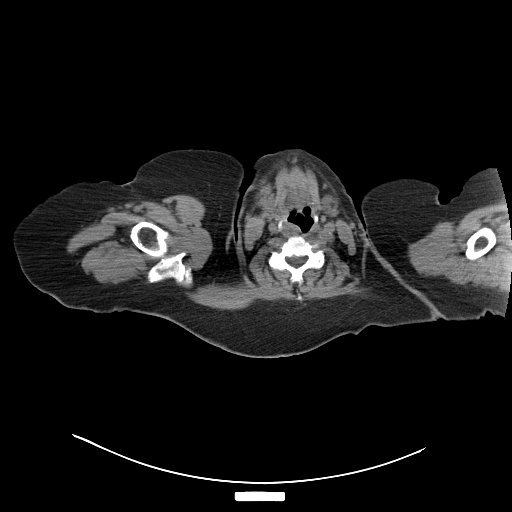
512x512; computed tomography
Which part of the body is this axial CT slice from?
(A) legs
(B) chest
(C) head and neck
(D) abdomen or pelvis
(C) head and neck
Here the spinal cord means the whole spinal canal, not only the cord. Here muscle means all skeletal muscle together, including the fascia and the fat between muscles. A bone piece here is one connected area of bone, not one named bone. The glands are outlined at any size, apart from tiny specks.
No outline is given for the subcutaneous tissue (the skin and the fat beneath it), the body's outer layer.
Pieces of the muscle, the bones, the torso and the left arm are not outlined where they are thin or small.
Outlines (x, y in pixels):
spinal cord: 292 256; 296 256; 297 257; 306 257; 306 260; 301 265; 300 265; 299 266; 298 266; 297 267; 295 267; 294 266; 293 266; 292 265; 291 265; 287 261; 287 260; 286 259; 286 258; 287 258; 288 257; 291 257
left arm: 487 167; 497 170; 507 224; 511 228; 511 279; 507 283; 505 313; 500 316; 487 312; 477 320; 445 320; 391 268; 368 239; 360 211; 361 200; 370 188; 381 182; 414 177; 437 185; 440 189; 438 199; 445 204; 460 192; 471 175
submandibular glands 1: 323 195; 331 195; 332 196; 333 196; 333 197; 334 198; 338 198; 338 201; 337 202; 337 207; 338 208; 338 212; 337 213; 337 215; 336 215; 335 216; 328 215; 321 209; 321 208; 320 207; 320 202; 322 199; 322 197; 323 196
submandibular glands 2: 272 193; 273 193; 273 196; 275 199; 275 208; 271 212; 268 212; 267 211; 266 211; 262 207; 260 207; 259 206; 259 205; 257 202; 257 199; 259 197; 260 197; 261 196; 262 196; 264 194; 271 194
muscle 1: 288 153; 298 153; 315 163; 337 191; 355 223; 359 241; 355 242; 356 253; 350 256; 345 255; 347 245; 339 240; 333 248; 360 277; 356 286; 370 285; 377 295; 374 298; 340 296; 309 301; 304 305; 291 301; 255 304; 231 311; 198 304; 171 281; 159 282; 172 279; 180 285; 190 286; 193 282; 198 287; 212 281; 230 281; 245 273; 255 255; 242 245; 244 217; 254 186; 271 160, around holes outlined by 294 235; 301 235; 311 244; 318 242; 325 256; 325 262; 321 268; 308 268; 302 273; 303 282; 301 284; 297 282; 290 282; 291 273; 288 270; 273 269; 270 267; 268 263; 268 258; 271 251; 276 249; 277 250; 279 246; 290 236 and by 304 208; 308 208; 310 210; 313 208; 315 213; 317 215; 317 221; 316 222; 314 222; 311 225; 309 229; 307 230; 307 231; 302 231; 302 230; 295 223; 290 222; 288 220; 288 216; 292 211; 294 211; 295 212; 301 212 and by 323 195; 331 195; 332 196; 333 196; 333 197; 334 198; 338 198; 338 201; 337 202; 337 207; 338 208; 338 212; 337 213; 337 215; 336 215; 335 216; 328 215; 321 209; 321 208; 320 207; 320 202; 322 199; 322 197; 323 196 and by 272 193; 273 193; 273 196; 275 199; 275 208; 271 212; 268 212; 267 211; 266 211; 262 207; 260 207; 259 206; 259 205; 257 202; 257 199; 259 197; 260 197; 261 196; 262 196; 264 194; 271 194
muscle 2: 176 194; 193 195; 207 209; 202 223; 213 247; 203 268; 193 274; 183 262; 186 252; 170 249; 171 233; 149 220; 140 220; 129 230; 132 243; 157 259; 147 271; 149 283; 99 283; 83 271; 78 256; 66 250; 68 239; 103 209
muscle 3: 496 196; 498 196; 504 204; 507 224; 511 228; 511 279; 507 283; 506 291; 500 293; 492 289; 452 284; 444 278; 423 277; 416 272; 410 264; 407 256; 407 246; 410 243; 423 236; 436 222; 450 221; 459 218; 464 213; 488 203; inner edge: 485 226; 486 227; 489 227; 491 228; 495 233; 495 235; 496 236; 496 241; 495 242; 495 244; 493 247; 485 254; 474 260; 470 260; 468 259; 464 254; 464 252; 466 248; 466 245; 465 244; 466 243; 466 241; 474 232; 480 228
right arm: 186 148; 223 151; 237 158; 244 167; 245 173; 232 222; 219 238; 199 249; 163 261; 103 307; 93 311; 66 307; 29 282; 20 268; 12 236; 18 223; 38 203; 80 181; 113 180; 125 183; 133 178; 139 166; 151 158; 166 151
torso: 240 192; 234 255; 241 288; 261 315; 276 323; 309 327; 340 314; 359 286; 368 259; 368 240; 390 268; 443 319; 389 327; 370 325; 304 353; 260 358; 228 352; 161 317; 131 311; 94 312; 163 262; 219 239; 233 222
head and neck: 286 144; 292 144; 307 150; 323 160; 335 172; 351 197; 358 215; 363 220; 367 234; 365 267; 356 291; 348 305; 334 317; 309 326; 280 323; 261 314; 251 304; 242 288; 235 255; 237 220; 243 194; 253 177; 252 166; 261 156; inner edge: 304 208; 308 208; 310 210; 310 213; 311 214; 311 216; 313 218; 313 223; 311 225; 309 229; 307 230; 307 231; 302 231; 302 230; 295 223; 290 222; 288 220; 288 216; 292 211; 294 211; 295 212; 301 212; 302 210; 304 209
bones 1: 140 221; 149 221; 167 230; 172 238; 169 243; 169 249; 173 253; 185 252; 182 262; 186 266; 190 267; 192 271; 192 283; 190 285; 180 284; 172 278; 153 283; 148 281; 148 271; 158 261; 158 259; 139 249; 130 238; 131 228
bones 2: 294 235; 301 235; 311 244; 318 242; 325 256; 325 262; 321 268; 308 268; 302 273; 303 282; 301 284; 297 282; 290 282; 291 273; 288 270; 273 269; 270 267; 268 263; 268 258; 271 251; 276 249; 277 250; 279 246; 290 236 with a hole at 292 256; 296 256; 297 257; 306 257; 306 260; 301 265; 300 265; 299 266; 298 266; 297 267; 295 267; 294 266; 293 266; 292 265; 291 265; 287 261; 287 260; 286 259; 286 258; 287 258; 288 257; 291 257
bones 3: 485 226; 486 227; 489 227; 491 228; 495 233; 495 235; 496 236; 496 241; 495 242; 495 244; 493 247; 485 254; 474 260; 470 260; 468 259; 464 254; 464 252; 466 248; 466 245; 465 244; 466 243; 466 241; 474 232; 480 228